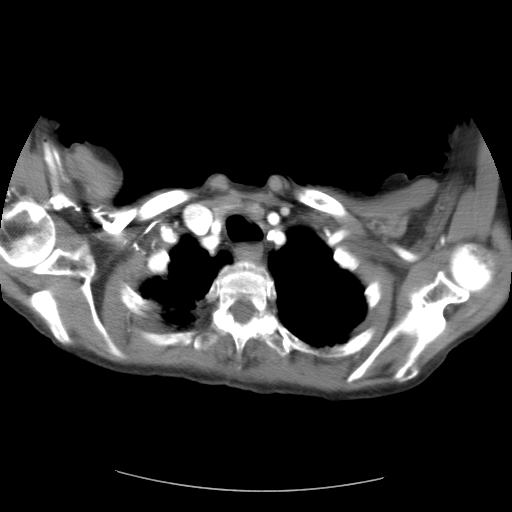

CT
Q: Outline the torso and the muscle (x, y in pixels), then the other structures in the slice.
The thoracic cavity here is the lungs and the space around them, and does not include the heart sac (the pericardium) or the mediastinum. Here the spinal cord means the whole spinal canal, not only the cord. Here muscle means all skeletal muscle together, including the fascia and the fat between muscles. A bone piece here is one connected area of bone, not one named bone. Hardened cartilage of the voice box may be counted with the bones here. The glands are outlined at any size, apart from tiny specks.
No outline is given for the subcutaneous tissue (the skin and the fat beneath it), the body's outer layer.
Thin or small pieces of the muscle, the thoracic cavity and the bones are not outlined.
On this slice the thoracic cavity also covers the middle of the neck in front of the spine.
A: Outlined structures:
torso: 395,171 409,177 419,173 430,236 460,277 503,310 454,348 423,383 399,394 332,402 117,373 58,349 3,301 0,279 38,267 118,200 156,187 196,186 214,172 263,184 268,175 281,172 297,182 371,193
muscle: 42,126 64,150 87,146 119,172 120,184 110,199 113,206 128,206 165,190 138,208 141,221 188,201 194,195 189,189 216,175 224,176 241,191 261,190 272,176 279,176 301,185 293,190 296,200 335,218 347,216 346,207 330,194 310,186 367,199 422,178 443,183 458,175 464,184 473,184 479,132 498,168 501,215 511,236 511,281 504,304 452,341 420,371 416,364 419,356 446,327 445,308 467,301 472,293 484,289 495,273 494,261 476,243 455,245 449,252 448,266 407,294 410,308 346,378 348,383 361,378 393,340 403,334 415,339 391,377 399,383 351,391 243,381 188,368 122,364 68,346 73,339 50,288 34,291 27,299 49,330 0,284 0,258 37,275 82,278 78,288 95,330 110,354 121,359 127,357 98,315 91,288 97,266 88,244 72,250 56,246 55,222 41,204 23,195 16,200 6,199 26,140, around a hole outlined by 238,201 286,207 329,248 342,246 359,258 352,273 364,287 379,279 380,299 349,334 374,328 359,351 327,357 292,349 282,356 251,338 238,357 229,333 206,349 157,345 142,336 141,331 210,329 211,303 197,301 193,319 179,327 164,319 159,304 144,315 131,311 119,290 124,282 139,293 155,276 146,257 177,244 185,205 198,202 212,209
thoracic cavity: 193,202 215,216 243,208 255,220 264,207 289,209 290,217 326,240 333,261 364,287 363,319 344,342 311,345 277,316 278,294 267,267 244,258 220,268 187,325 168,323 161,306 140,288 168,273 183,207
spinal cord: 239,300 243,300 244,301 245,300 247,300 249,301 255,309 255,311 250,317 250,318 247,321 245,322 240,322 236,320 233,314 230,310 230,308 232,306 232,305 233,305 237,301
bones 1: 244,259 266,267 277,294 276,316 301,340 322,348 344,343 370,327 371,339 359,351 336,357 296,349 282,356 254,338 238,357 229,333 219,335 206,349 146,340 141,331 209,330 213,305 204,296 223,266; inner edge: 239,300 243,300 244,301 245,300 247,300 249,301 255,309 255,311 250,317 250,318 247,321 245,322 240,322 236,320 233,314 230,310 230,308 232,306 232,305 233,305 237,301
bones 2: 468,242 476,244 493,261 492,279 464,302 450,303 444,308 445,327 418,356 417,375 403,382 392,378 416,339 400,333 361,377 348,382 349,375 411,308 408,294 431,282 438,271 449,266 452,249
bones 3: 23,196 41,205 53,220 56,247 72,251 87,244 96,266 90,281 94,306 111,340 126,355 125,358 110,353 96,330 89,305 79,288 84,282 82,277 37,274 28,268 13,266 0,257 4,202 16,201
bones 4: 44,289 50,289 53,293 53,296 57,302 57,307 58,308 58,312 59,313 60,318 69,336 72,339 72,343 71,344 64,345 58,341 51,332 46,322 41,317 41,316 28,304 28,299 34,292 37,292
bones 5: 300,186 309,186 310,187 313,187 330,195 339,201 345,207 348,212 348,214 343,217 335,217 324,211 321,211 318,209 316,209 313,207 311,207 308,205 306,205 300,202 297,199 296,199 294,195 294,190
bones 6: 173,188 185,188 190,190 193,193 193,195 188,200 184,201 179,204 177,204 172,207 170,207 166,210 162,211 153,217 149,218 146,220 141,220 140,219 138,214 138,210 146,201 158,193
bones 7: 122,282 126,283 131,288 132,288 135,291 138,292 144,298 152,300 155,302 157,304 157,307 154,308 152,310 146,310 144,312 145,313 144,315 140,315 131,311 122,302 120,298 120,293 119,292 119,290
bones 8: 159,248 163,248 165,249 168,252 168,254 170,258 170,261 168,264 168,271 167,273 163,276 159,276 158,275 153,275 151,273 150,270 147,267 146,265 146,257 148,256 150,253 157,250
bones 9: 336,246 342,246 343,247 346,248 349,251 354,253 359,258 359,259 360,260 360,261 359,262 359,264 354,272 351,272 346,269 343,269 342,268 339,267 339,266 334,261 334,260 333,259 333,250
bones 10: 376,278 378,278 379,279 379,281 381,284 381,296 380,297 380,299 378,301 378,302 371,309 368,310 367,309 367,304 366,303 366,301 365,300 365,297 364,296 364,294 363,293 364,292 365,287
left arm: 463,115 471,118 485,139 497,165 505,198 511,236 511,281 504,309 490,302 461,277 431,236 424,218 420,173 427,173 433,170 439,171 442,168 446,160 443,151 449,147 446,140 446,130 450,129 456,119
thyroid glands: 238,201 241,202 255,202 262,206 264,209 264,211 261,218 259,219 255,219 252,216 250,212 248,211 247,209 243,207 234,209 224,214 215,215 212,211 212,209 214,207 220,204 229,203 230,202 237,202
right arm: 44,112 56,116 61,120 58,131 61,140 66,145 76,141 80,142 88,140 107,146 115,154 123,168 126,185 118,199 100,218 70,238 52,257 21,274 0,278 0,221 5,205 4,202 20,153 36,122